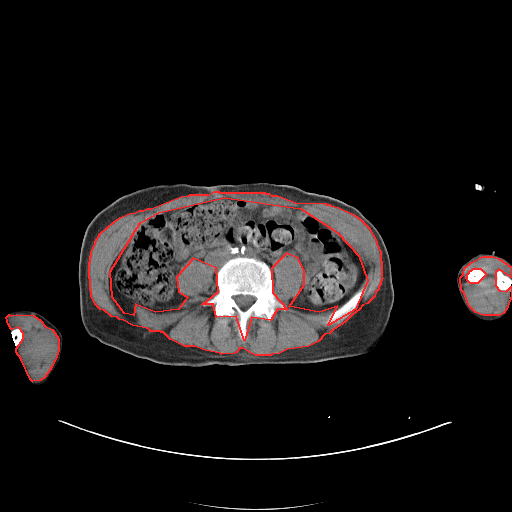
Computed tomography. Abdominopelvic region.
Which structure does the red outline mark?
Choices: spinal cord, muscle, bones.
red: muscle.
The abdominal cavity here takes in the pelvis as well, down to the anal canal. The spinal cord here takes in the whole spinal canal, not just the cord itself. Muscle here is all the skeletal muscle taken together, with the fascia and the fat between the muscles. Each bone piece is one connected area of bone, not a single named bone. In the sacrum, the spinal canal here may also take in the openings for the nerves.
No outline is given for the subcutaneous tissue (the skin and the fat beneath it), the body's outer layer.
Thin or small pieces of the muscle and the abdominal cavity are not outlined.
Outlines (x, y in pixels):
muscle 1: 214 191; 218 191; 219 192; 264 192; 265 193; 268 193; 271 195; 277 195; 295 202; 325 203; 326 204; 329 204; 330 205; 338 207; 353 214; 360 219; 368 227; 376 241; 376 243; 380 252; 380 260; 381 261; 381 276; 382 278; 380 281; 380 284; 378 287; 378 289; 375 292; 374 296; 367 303; 362 305; 359 309; 351 315; 344 322; 333 329; 329 333; 324 334; 318 341; 308 346; 287 349; 279 353; 271 354; 270 355; 255 355; 242 348; 239 348; 236 352; 234 353; 221 354; 220 353; 205 350; 194 346; 184 346; 170 339; 163 332; 161 332; 160 331; 150 331; 150 330; 147 328; 132 325; 123 320; 119 319; 117 317; 111 316; 104 310; 100 309; 96 305; 91 296; 91 291; 90 290; 90 279; 89 278; 89 262; 90 261; 90 256; 91 255; 91 252; 95 243; 95 241; 100 233; 114 221; 120 217; 129 213; 135 212; 139 210; 143 210; 147 208; 151 208; 181 196; 189 195; 190 194; 206 194; 207 195, around a hole outlined by 224 197; 300 208; 337 232; 358 255; 367 280; 355 309; 328 325; 337 306; 319 312; 289 306; 304 284; 304 271; 298 258; 286 253; 271 268; 272 292; 287 309; 277 309; 270 320; 251 317; 244 340; 236 316; 216 317; 213 304; 202 304; 218 291; 216 268; 193 258; 176 277; 178 291; 187 297; 178 309; 155 312; 135 304; 133 315; 124 313; 112 297; 110 271; 140 222; 158 212
muscle 2: 9 314; 11 315; 16 314; 33 315; 40 320; 45 326; 52 329; 58 338; 58 350; 56 356; 51 367; 44 377; 40 380; 32 381; 30 379; 21 359; 16 352; 16 348; 23 338; 23 333; 18 327; 11 329; 8 324; 6 317
muscle 3: 482 256; 492 256; 498 258; 511 267; 511 277; 499 269; 495 272; 495 285; 499 290; 506 291; 511 286; 511 295; 506 309; 503 313; 499 315; 483 315; 475 312; 469 306; 464 293; 461 290; 460 277; 463 274; 464 268; 471 262 with a hole at 473 268; 480 268; 485 273; 485 275; 477 283; 470 283; 467 280; 467 279; 466 278; 466 277; 467 276; 467 274; 469 272; 469 271; 470 270; 471 270
left arm: 492 251; 494 251; 497 255; 502 256; 511 262; 511 289; 510 290; 511 291; 511 295; 505 314; 498 319; 486 321; 479 319; 473 315; 467 309; 459 293; 457 287; 456 278; 457 277; 457 273; 460 267; 466 261; 481 252; 490 253
abdominal cavity: 224 197; 313 214; 356 252; 363 281; 338 306; 301 311; 289 306; 304 284; 291 253; 271 262; 273 278; 256 257; 231 257; 215 277; 215 267; 193 258; 176 277; 187 297; 178 309; 135 304; 133 315; 124 313; 110 271; 140 222
torso: 254 182; 291 185; 336 198; 357 208; 376 227; 390 259; 394 301; 387 327; 375 349; 352 357; 311 363; 192 367; 166 365; 139 358; 106 345; 87 333; 80 314; 78 263; 86 227; 100 210; 124 194; 152 185; 187 183; 211 186
bones 1: 234 257; 252 257; 265 262; 272 273; 272 292; 275 298; 287 307; 286 310; 277 309; 270 320; 251 317; 246 324; 247 334; 244 340; 238 335; 239 322; 236 316; 216 317; 213 304; 207 306; 202 304; 218 291; 215 278; 219 268; inner edge: 237 295; 249 295; 250 296; 253 296; 255 298; 255 300; 254 301; 254 302; 250 306; 249 306; 246 309; 245 309; 244 310; 243 309; 242 309; 236 303; 236 302; 234 300; 234 299; 233 298; 233 297; 234 296; 236 296
bones 2: 365 279; 367 280; 367 288; 366 289; 366 291; 364 293; 363 296; 361 298; 359 303; 355 309; 347 317; 342 319; 339 322; 332 323; 328 325; 326 324; 326 320; 330 313; 339 307; 343 303; 344 303; 354 293; 354 292; 361 285
bones 3: 498 270; 499 270; 500 271; 501 271; 505 275; 506 275; 507 276; 508 276; 510 278; 511 278; 511 285; 510 286; 510 287; 509 288; 508 288; 506 290; 501 290; 500 289; 499 289; 497 287; 497 286; 496 285; 496 272
bones 4: 473 268; 480 268; 485 273; 485 275; 477 283; 470 283; 467 280; 467 279; 466 278; 466 277; 467 276; 467 274; 469 272; 469 271; 470 270; 471 270
bones 5: 15 328; 18 328; 21 331; 21 332; 22 333; 22 338; 21 339; 21 340; 20 341; 20 342; 18 344; 18 345; 16 347; 16 346; 15 345; 15 343; 13 340; 13 337; 11 335; 11 330; 12 330
right arm: 18 309; 31 310; 41 314; 55 325; 62 334; 63 341; 60 359; 46 381; 39 385; 35 385; 32 382; 21 361; 21 359; 16 352; 16 346; 13 340; 13 337; 11 335; 11 328; 8 324; 8 321; 6 317; 8 312
spinal cord: 237 295; 249 295; 250 296; 253 296; 255 298; 255 300; 254 301; 254 302; 250 306; 249 306; 246 309; 245 309; 244 310; 243 309; 242 309; 236 303; 236 302; 234 300; 234 299; 233 298; 233 297; 234 296; 236 296